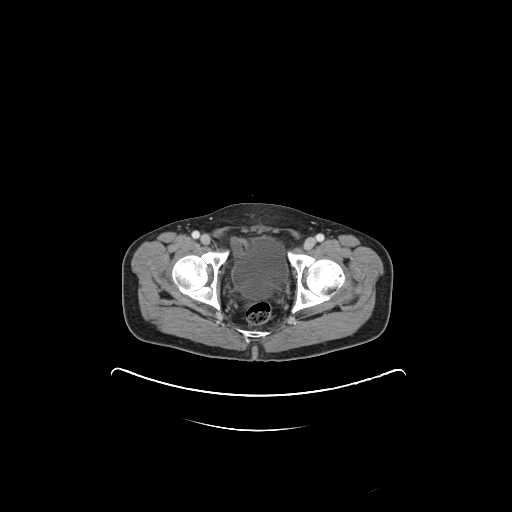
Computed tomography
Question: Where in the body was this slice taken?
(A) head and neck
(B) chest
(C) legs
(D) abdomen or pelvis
Answer: (D) abdomen or pelvis
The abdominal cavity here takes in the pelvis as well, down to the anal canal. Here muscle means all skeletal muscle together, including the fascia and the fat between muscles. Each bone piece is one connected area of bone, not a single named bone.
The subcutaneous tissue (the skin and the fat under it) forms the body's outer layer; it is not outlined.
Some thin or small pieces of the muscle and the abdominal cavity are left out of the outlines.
The torso is outlined by 240,202 261,202 293,207 347,225 377,239 388,251 393,264 391,311 384,331 375,339 360,345 314,357 288,361 241,361 205,357 136,338 127,328 122,312 121,264 128,246 139,236 170,222 204,215 226,205. The bones appear in 3 outlined pieces: piece 1: 288,250 290,250 294,253 304,253 312,256 316,259 327,258 333,260 341,267 344,273 345,276 344,284 328,300 316,305 300,309 293,314 291,313 290,310 296,299 297,273 295,268 291,265 288,259 287,255; piece 2: 227,249 229,251 227,258 220,266 217,272 216,293 217,294 217,299 220,304 220,311 219,312 211,305 195,300 182,293 174,283 172,279 171,271 175,262 179,258 185,255 194,254 199,256 208,251 223,251; piece 3: 235,328 240,328 241,329 244,329 245,330 258,330 259,331 269,331 270,333 266,335 264,337 258,337 257,338 251,338 250,339 250,342 247,343 245,341 244,336 240,332 236,330. The muscle is outlined by 256,224 288,227 306,236 319,232 351,234 377,250 383,274 376,282 373,311 356,332 266,352 258,343 245,350 210,346 163,333 145,322 138,303 138,279 131,269 133,254 145,240 165,231 207,232 227,225, around a hole outlined by 230,231 288,234 295,241 289,248 292,252 333,260 341,267 345,282 328,300 293,314 289,310 268,328 269,334 247,343 221,300 223,263 216,282 219,312 182,293 171,275 175,262 185,255 225,250 222,242. The abdominal cavity is outlined by 230,231 257,234 282,233 290,235 295,241 295,243 286,251 287,259 294,268 293,275 296,279 292,305 282,319 267,330 245,329 241,327 229,314 222,303 221,281 224,273 224,263 230,253 222,242 224,237.